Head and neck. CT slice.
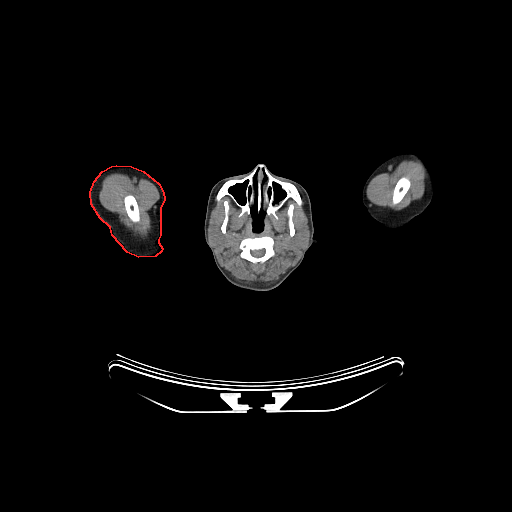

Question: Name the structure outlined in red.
Answer: red: right arm.
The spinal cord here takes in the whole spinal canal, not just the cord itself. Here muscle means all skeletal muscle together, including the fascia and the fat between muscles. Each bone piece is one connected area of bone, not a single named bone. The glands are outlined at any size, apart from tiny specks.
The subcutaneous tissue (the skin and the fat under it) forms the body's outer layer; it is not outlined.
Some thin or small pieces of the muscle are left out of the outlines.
right arm: 116 165; 131 166; 143 171; 158 183; 163 192; 164 199; 160 208; 160 235; 158 239; 158 242; 162 248; 161 251; 155 256; 138 257; 127 252; 112 235; 110 227; 100 218; 91 204; 90 192; 94 181; 102 171; 111 166
spinal cord: 261 249; 263 249; 264 250; 264 253; 263 254; 263 255; 262 255; 261 256; 260 256; 259 257; 256 257; 255 256; 254 256; 253 255; 252 255; 252 254; 251 253; 251 251; 252 250; 260 250
muscle 1: 226 196; 240 209; 240 217; 245 213; 251 215; 254 232; 264 228; 266 215; 276 219; 277 211; 289 199; 301 207; 302 198; 307 224; 296 232; 294 205; 290 203; 286 211; 288 234; 294 236; 292 243; 301 254; 296 264; 278 279; 239 280; 220 265; 215 248; 222 241; 221 232; 225 234; 227 231; 230 205; 226 199; 222 203; 224 216; 220 229; 210 221; 210 216; 215 197; 218 202; inner edge: 260 236; 269 236; 273 239; 273 250; 274 251; 274 255; 268 258; 264 262; 262 262; 261 263; 254 263; 244 258; 242 258; 240 256; 241 249; 239 246; 241 240; 243 238; 245 238; 246 237; 259 237
muscle 2: 112 173; 122 173; 131 176; 136 176; 138 178; 143 178; 151 182; 156 187; 159 194; 159 198; 150 216; 151 231; 145 238; 141 238; 134 235; 119 221; 116 215; 107 210; 101 204; 99 200; 99 192; 101 189; 101 184; 106 175 with a hole at 128 194; 131 194; 133 195; 137 202; 137 205; 138 206; 138 209; 139 210; 139 216; 140 217; 139 219; 139 221; 138 222; 134 222; 132 221; 128 216; 127 214; 127 212; 125 209; 125 205; 124 204; 124 197
muscle 3: 404 159; 415 159; 418 160; 422 164; 425 170; 424 193; 423 195; 419 199; 413 200; 406 207; 399 210; 395 210; 388 207; 381 207; 373 204; 367 198; 366 194; 367 187; 370 181; 376 175; 379 174; 383 169; 390 165; 398 163; inner edge: 403 176; 404 176; 409 179; 409 180; 410 181; 410 186; 409 187; 408 190; 406 192; 406 193; 402 198; 402 199; 398 203; 397 203; 396 204; 393 204; 392 203; 392 194; 393 193; 393 189; 394 188; 397 181; 401 177; 402 177
parotid glands 1: 305 225; 308 225; 309 226; 311 230; 311 232; 309 236; 309 239; 308 240; 308 242; 306 246; 304 248; 304 250; 303 251; 300 251; 298 250; 295 247; 293 243; 293 239; 295 237; 295 234; 299 230; 299 229; 303 227
parotid glands 2: 210 222; 212 222; 215 225; 216 225; 219 228; 219 229; 220 230; 220 233; 221 234; 221 241; 219 243; 219 245; 217 247; 212 247; 208 243; 208 225; 209 224; 209 223
bones 1: 258 164; 263 164; 275 178; 293 184; 300 194; 302 205; 299 206; 289 198; 276 211; 276 218; 272 214; 267 215; 264 207; 258 211; 255 194; 250 214; 245 212; 241 216; 241 209; 227 195; 217 201; 217 192; 226 181; 246 176; inner edges: 245 182; 246 182; 246 185; 245 186; 245 189; 244 190; 244 196; 245 197; 245 202; 243 204; 242 204; 241 203; 240 203; 238 201; 238 200; 235 197; 235 196; 230 191; 230 189; 232 187; 233 187; 238 184; 243 184, then 274 184; 276 184; 278 186; 279 186; 279 188; 284 193; 284 195; 283 196; 283 197; 282 197; 278 201; 275 201; 275 188; 274 187
bones 2: 260 236; 269 236; 273 239; 273 250; 274 251; 274 255; 268 258; 264 262; 262 262; 261 263; 254 263; 244 258; 242 258; 240 256; 241 249; 239 246; 241 240; 243 238; 245 238; 246 237; 259 237, around a hole outlined by 261 249; 263 249; 264 250; 264 253; 263 254; 263 255; 262 255; 261 256; 260 256; 259 257; 256 257; 255 256; 254 256; 253 255; 252 255; 252 254; 251 253; 251 251; 252 250; 260 250
bones 3: 403 176; 404 176; 409 179; 409 180; 410 181; 410 186; 409 187; 408 190; 406 192; 406 193; 402 198; 402 199; 398 203; 397 203; 396 204; 393 204; 392 203; 392 194; 393 193; 393 189; 394 188; 397 181; 401 177; 402 177
bones 4: 128 194; 131 194; 133 195; 137 202; 137 205; 138 206; 138 209; 139 210; 139 216; 140 217; 139 219; 139 221; 138 222; 134 222; 132 221; 128 216; 127 214; 127 212; 125 209; 125 205; 124 204; 124 197
bones 5: 290 204; 292 204; 293 205; 293 215; 292 216; 292 221; 293 222; 293 224; 294 225; 294 228; 295 229; 295 233; 293 236; 290 236; 290 235; 289 234; 289 227; 288 226; 288 216; 287 215; 287 211; 288 210; 288 207
bones 6: 225 200; 228 201; 228 204; 229 205; 229 210; 228 211; 228 221; 227 222; 227 225; 226 226; 226 231; 225 233; 223 233; 221 231; 221 225; 223 222; 223 220; 225 216; 225 209; 224 208; 224 204; 223 203
head and neck: 258 164; 263 164; 270 173; 294 180; 304 187; 311 203; 313 237; 317 241; 317 243; 312 243; 307 249; 299 267; 280 285; 267 291; 245 289; 230 283; 216 266; 212 251; 204 237; 204 220; 211 188; 216 182; 223 178; 251 172; inner edges: 255 195; 256 197; 256 209; 257 211; 258 212; 260 211; 261 209; 262 209; 265 212; 265 215; 263 217; 263 228; 260 231; 254 231; 254 229; 253 228; 253 219; 252 218; 252 215; 251 214; 251 209; 254 203; 254 199; 255 198, then 245 182; 246 182; 246 185; 245 186; 245 189; 244 190; 244 196; 245 197; 245 202; 243 204; 242 204; 241 203; 240 203; 238 201; 238 200; 235 197; 235 196; 230 191; 230 189; 232 187; 233 187; 238 184; 243 184, then 274 184; 276 184; 278 186; 279 186; 279 188; 284 193; 284 195; 283 196; 283 197; 282 197; 278 201; 275 201; 275 188; 274 187
left arm: 401 153; 413 153; 416 154; 423 158; 427 162; 429 165; 433 177; 433 194; 430 203; 420 214; 415 216; 407 224; 402 227; 396 228; 395 229; 389 229; 381 225; 368 213; 362 201; 362 189; 367 178; 381 163; 390 157